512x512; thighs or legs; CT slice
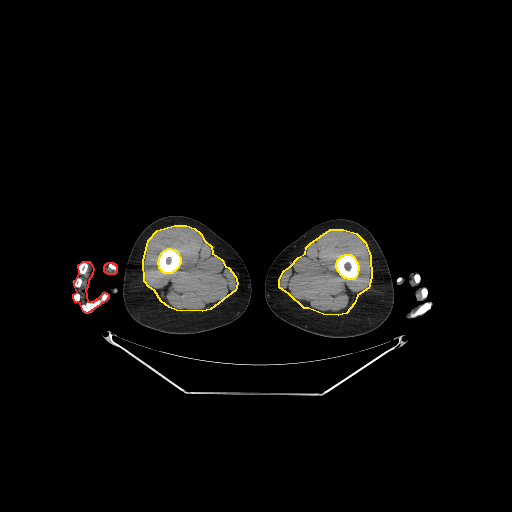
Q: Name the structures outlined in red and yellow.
A: red: right arm; yellow: muscle.
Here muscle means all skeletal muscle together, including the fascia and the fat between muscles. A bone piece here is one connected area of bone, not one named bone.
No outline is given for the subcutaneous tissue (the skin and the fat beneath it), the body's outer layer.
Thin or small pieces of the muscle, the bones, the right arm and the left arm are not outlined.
Outlines:
right arm 1: 83 261; 89 261; 93 268; 92 274; 88 280; 87 287; 85 290; 87 301; 93 302; 104 292; 108 294; 108 298; 106 300; 87 313; 83 311; 80 303; 75 302; 73 297; 73 294; 77 292; 74 284; 79 273; 78 265
right arm 2: 108 262; 111 262; 112 263; 113 263; 114 264; 115 264; 115 265; 116 266; 116 272; 114 274; 108 274; 107 273; 106 273; 104 271; 104 266; 105 265; 105 264; 106 263; 107 263
muscle 1: 174 225; 186 225; 194 228; 200 233; 204 240; 211 246; 212 253; 221 259; 225 266; 228 267; 235 276; 237 283; 235 290; 210 309; 202 311; 176 310; 169 307; 161 301; 154 290; 149 287; 144 281; 143 261; 148 240; 157 230, around a hole outlined by 168 248; 170 248; 171 249; 174 249; 175 250; 176 250; 177 253; 180 257; 180 263; 179 264; 178 267; 174 271; 173 271; 171 273; 164 273; 159 268; 158 261; 159 260; 159 257; 160 256; 161 253; 164 250; 165 250
muscle 2: 330 229; 343 229; 356 233; 365 242; 370 256; 371 277; 368 288; 357 295; 354 303; 346 313; 338 315; 323 314; 308 308; 304 308; 289 294; 279 287; 279 279; 284 270; 290 266; 298 257; 305 253; 306 247; 310 243; inner edge: 344 254; 350 254; 354 257; 354 258; 357 262; 357 264; 358 265; 358 270; 357 271; 357 274; 356 276; 353 279; 348 279; 347 278; 345 278; 343 276; 342 276; 337 270; 337 268; 336 267; 336 263; 337 262; 337 260; 342 255
right leg: 169 215; 184 215; 194 218; 202 222; 216 234; 229 243; 243 260; 248 270; 251 280; 251 298; 245 311; 234 321; 226 325; 198 333; 166 334; 141 326; 127 312; 122 297; 122 283; 126 262; 132 246; 139 234; 150 223; 161 217
left arm 1: 425 303; 431 303; 431 307; 425 312; 421 314; 419 314; 418 315; 415 315; 414 316; 411 316; 409 313; 408 314; 408 317; 405 316; 405 315; 411 309; 412 309; 414 307; 416 306; 418 306; 419 305; 421 306
left arm 2: 414 271; 415 271; 416 272; 417 272; 418 273; 418 274; 419 275; 419 281; 418 282; 418 284; 417 285; 416 285; 415 286; 411 286; 410 285; 410 284; 409 283; 409 282; 408 281; 408 276; 409 275; 409 274; 411 272; 413 272
left arm 3: 419 287; 420 287; 421 288; 425 288; 426 289; 426 291; 427 292; 427 293; 426 294; 426 295; 425 296; 425 297; 424 298; 424 300; 417 300; 416 299; 416 298; 415 297; 415 291
bones 1: 344 254; 350 254; 354 257; 354 258; 357 262; 357 264; 358 265; 358 270; 357 271; 357 274; 356 276; 353 279; 348 279; 347 278; 345 278; 343 276; 342 276; 337 270; 337 268; 336 267; 336 263; 337 262; 337 260; 342 255
bones 2: 168 248; 170 248; 171 249; 174 249; 175 250; 176 250; 177 253; 180 257; 180 263; 179 264; 178 267; 174 271; 173 271; 171 273; 164 273; 159 268; 158 261; 159 260; 159 257; 160 256; 161 253; 164 250; 165 250
bones 3: 96 300; 98 300; 100 302; 100 304; 98 306; 96 306; 91 311; 90 311; 87 313; 86 313; 83 311; 83 310; 81 307; 82 306; 81 305; 82 304; 85 304; 87 302; 94 302
bones 4: 425 303; 431 303; 431 307; 429 309; 428 309; 425 312; 424 312; 421 314; 419 314; 418 315; 415 315; 414 316; 411 316; 410 315; 410 314; 412 312; 413 312; 414 311; 415 311; 420 306; 421 306; 423 304; 424 304
bones 5: 83 261; 84 262; 85 262; 87 264; 87 266; 88 267; 87 268; 87 270; 86 271; 86 272; 84 274; 82 274; 81 273; 80 273; 78 271; 78 265; 81 262; 82 262
bones 6: 77 277; 79 277; 80 278; 81 278; 81 280; 82 281; 81 282; 81 285; 79 287; 76 287; 74 285; 74 284; 75 283; 75 282; 76 281; 76 278
bones 7: 75 293; 76 293; 77 293; 78 293; 79 294; 80 295; 80 296; 80 297; 80 298; 79 299; 79 300; 78 301; 77 301; 76 301; 75 300; 74 299; 74 298; 73 297; 73 296; 73 295; 73 294; 74 294
bones 8: 111 262; 112 263; 113 263; 114 264; 115 264; 115 265; 116 266; 116 267; 116 268; 116 269; 115 269; 114 269; 113 269; 112 269; 111 269; 110 269; 109 268; 109 267; 109 266; 109 265; 109 264; 110 263
left leg: 335 218; 345 218; 356 221; 370 231; 376 239; 385 256; 393 282; 394 303; 388 318; 374 331; 356 337; 346 338; 325 337; 295 327; 277 317; 269 308; 264 296; 265 278; 268 269; 275 257; 288 244; 298 238; 313 226; 323 221